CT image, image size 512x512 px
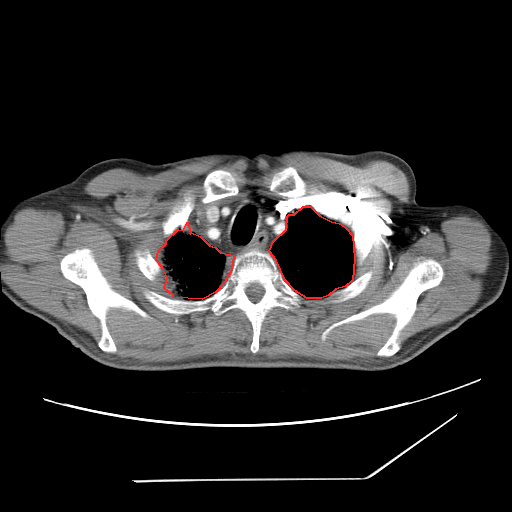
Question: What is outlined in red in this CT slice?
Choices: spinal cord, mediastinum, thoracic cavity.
Answer: red: thoracic cavity.
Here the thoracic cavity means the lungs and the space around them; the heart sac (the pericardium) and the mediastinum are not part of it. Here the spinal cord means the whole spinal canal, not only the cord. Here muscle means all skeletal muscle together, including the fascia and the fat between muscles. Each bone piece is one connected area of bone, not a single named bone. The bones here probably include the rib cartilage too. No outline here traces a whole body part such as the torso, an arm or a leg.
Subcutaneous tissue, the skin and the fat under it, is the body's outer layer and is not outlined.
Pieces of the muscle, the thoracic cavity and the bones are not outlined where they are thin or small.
thoracic cavity 1: 303,206 310,206 319,215 331,221 339,223 345,227 352,235 354,258 352,280 345,286 335,289 328,295 321,298 307,298 294,290 285,280 276,260 269,251 273,241 286,229 287,216 289,214 294,214
thoracic cavity 2: 187,222 190,233 191,232 200,236 209,245 215,247 220,252 235,255 233,257 230,272 224,282 215,292 202,299 173,297 173,295 164,288 167,277 162,267 156,260 158,250 166,243 166,240 178,229 183,230
mediastinum: 253,191 270,197 298,197 306,203 305,206 302,204 294,213 289,213 286,216 285,229 272,241 268,251 257,248 235,254 225,253 209,244 200,235 190,232 188,220 202,203 231,202 245,198
bones 1: 257,249 270,253 304,299 324,298 365,272 372,275 359,294 344,301 302,303 296,311 273,307 261,324 256,353 250,350 252,325 239,308 220,315 209,309 176,315 143,294 148,289 202,300 225,282 238,253, around a hole outlined by 251,283 258,283 260,285 261,285 263,287 263,288 264,289 264,293 263,294 263,295 261,297 261,298 258,301 257,301 256,302 253,302 251,300 250,300 250,299 246,294 246,292 245,291 246,288
bones 2: 424,258 439,262 444,275 438,285 419,295 411,319 399,333 401,347 397,352 388,357 376,355 395,325 396,319 390,313 373,313 341,324 333,328 325,340 321,339 322,333 333,323 386,299 401,284 414,264
bones 3: 76,248 90,249 101,273 111,287 119,294 132,300 151,317 145,318 132,310 117,307 109,308 106,313 106,325 116,346 114,353 105,352 98,346 101,336 100,321 90,310 84,290 65,278 61,272 61,259
bones 4: 215,169 223,169 224,170 230,171 236,177 236,182 238,186 238,192 237,194 235,195 231,195 230,196 227,196 223,198 220,198 213,201 210,201 206,203 203,203 201,201 201,197 202,196 202,183 207,174
bones 5: 287,166 292,166 294,167 298,174 302,178 301,181 305,189 305,191 299,197 298,196 295,197 288,197 287,196 279,195 275,192 270,190 268,187 270,184 271,178 273,174 275,172 277,172 281,170 284,167
bones 6: 188,191 190,192 191,194 195,196 193,209 187,219 184,228 183,229 178,228 171,236 166,239 164,237 164,234 163,233 163,227 162,226 163,225 163,222 167,218 167,216 172,207 175,205 183,197 183,195
bones 7: 136,249 139,249 142,251 143,250 148,250 150,254 155,259 155,260 161,267 162,269 162,271 161,273 159,275 158,275 157,277 154,280 150,280 148,279 139,269 136,263 136,258 135,257 135,250
bones 8: 352,230 356,230 358,232 361,233 363,237 370,244 370,249 369,250 369,252 366,256 366,257 363,260 362,263 359,266 356,266 355,265 355,258 354,257 354,248 353,247 353,235 352,234 353,233 352,232
bones 9: 317,206 322,206 323,207 329,207 330,206 331,206 333,208 334,208 338,212 338,218 339,219 339,221 338,222 337,221 335,221 334,220 331,220 330,219 329,219 328,218 319,214 313,208 314,208
muscle: 294,152 355,166 371,160 397,166 410,186 409,201 397,204 393,212 397,253 439,233 443,220 459,214 479,219 490,233 492,258 481,276 482,294 454,319 417,333 401,349 400,333 412,319 420,295 438,286 445,275 439,261 424,257 382,301 333,322 321,333 323,342 336,327 373,314 390,314 394,325 375,353 387,358 381,361 239,353 165,362 112,359 96,351 85,332 29,304 0,282 0,263 7,257 5,232 19,210 51,209 69,223 107,224 110,197 97,199 84,192 85,185 104,171 126,168 156,174 210,156 243,158 254,164 258,158 273,161, around holes outlined by 287,166 294,167 302,178 305,191 299,197 308,206 331,206 338,212 338,222 342,226 351,234 352,230 361,233 370,244 368,254 353,270 353,280 365,272 372,272 359,294 340,302 302,303 296,311 273,307 261,324 256,353 250,350 252,325 239,308 220,315 209,309 176,315 146,299 143,289 169,298 173,295 164,288 167,277 163,270 154,280 142,273 136,263 135,250 148,250 156,258 158,250 166,243 163,222 186,192 195,196 191,217 202,203 205,177 215,169 223,169 236,177 238,192 215,200 217,203 239,200 253,191 287,198 268,187 273,174 and by 76,248 90,249 101,273 111,287 119,294 132,300 151,317 145,318 132,310 117,307 109,308 106,313 106,325 116,346 114,353 105,352 98,346 101,336 100,321 90,310 84,290 65,278 61,272 61,259
spinal cord: 251,283 258,283 260,285 261,285 263,287 263,288 264,289 264,293 263,294 263,295 261,297 261,298 258,301 257,301 256,302 253,302 251,300 250,300 250,299 246,294 246,292 245,291 246,288